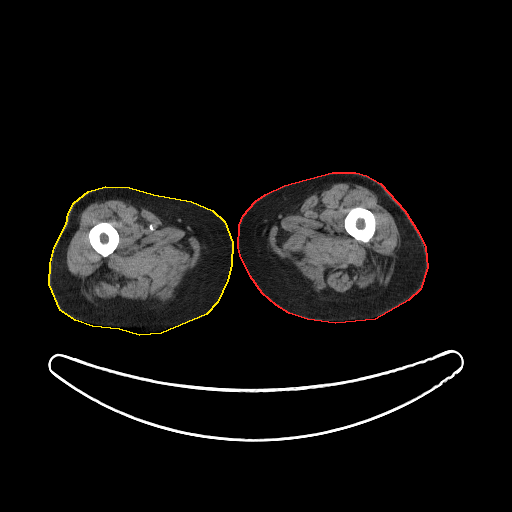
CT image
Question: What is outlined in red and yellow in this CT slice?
Answer: red: left leg; yellow: right leg.
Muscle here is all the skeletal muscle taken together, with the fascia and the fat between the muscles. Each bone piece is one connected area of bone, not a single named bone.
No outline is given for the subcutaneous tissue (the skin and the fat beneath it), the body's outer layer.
{"left_leg":[[[332,172],[355,172],[366,175],[380,183],[404,210],[418,232],[425,247],[427,267],[420,289],[408,300],[375,319],[335,323],[307,319],[289,313],[276,305],[262,293],[250,276],[240,255],[238,247],[239,225],[243,215],[255,201],[265,194],[284,185]]],"right_leg":[[[105,186],[129,187],[153,194],[191,201],[212,210],[224,221],[232,242],[231,265],[227,280],[217,302],[206,314],[161,333],[139,335],[119,329],[92,326],[75,320],[60,310],[49,284],[50,263],[54,247],[66,224],[68,213],[74,202],[88,191]]],"muscle":[{"outer":[[340,182],[364,186],[377,195],[392,215],[399,232],[400,246],[394,260],[392,272],[387,285],[377,296],[358,301],[337,301],[315,298],[282,259],[272,251],[269,245],[269,233],[271,224],[273,219],[278,214],[284,209],[301,201],[318,190],[334,183]],"hole":[[359,206],[360,207],[363,207],[366,209],[368,209],[371,211],[375,217],[375,231],[372,237],[367,242],[363,242],[362,241],[357,240],[354,238],[346,231],[345,227],[344,226],[344,219],[348,213],[349,210],[353,207],[358,207]]},{"outer":[[111,198],[122,198],[151,211],[164,221],[185,230],[195,237],[199,243],[199,260],[185,277],[174,296],[143,312],[112,311],[95,305],[87,300],[83,295],[79,289],[79,284],[76,278],[67,268],[67,248],[76,230],[77,220],[82,211],[91,203]],"hole":[[99,222],[110,222],[112,224],[112,225],[117,230],[118,232],[118,234],[119,235],[119,242],[116,248],[112,253],[111,253],[106,257],[104,257],[102,256],[92,247],[89,241],[89,238],[88,237],[88,233],[89,232],[89,230],[94,225],[95,225]]}],"bones":[[[359,206],[360,207],[363,207],[366,209],[368,209],[371,211],[375,217],[375,231],[372,237],[367,242],[363,242],[362,241],[357,240],[354,238],[346,231],[345,227],[344,226],[344,219],[348,213],[349,210],[353,207],[358,207]],[[99,222],[110,222],[112,224],[112,225],[117,230],[118,232],[118,234],[119,235],[119,242],[116,248],[112,253],[111,253],[106,257],[104,257],[102,256],[92,247],[89,241],[89,238],[88,237],[88,233],[89,232],[89,230],[94,225],[95,225]]]}